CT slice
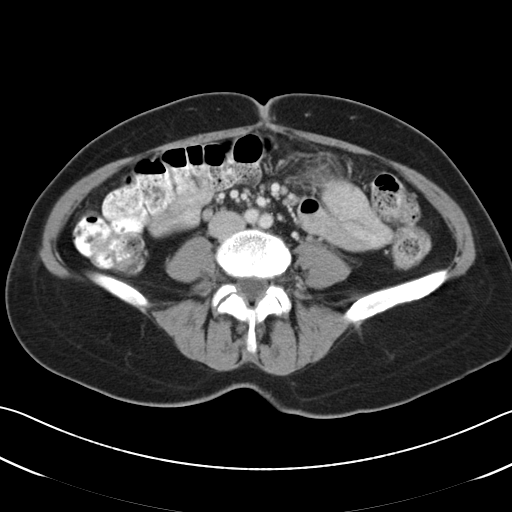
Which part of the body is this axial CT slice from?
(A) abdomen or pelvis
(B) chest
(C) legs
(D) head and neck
Answer: (A) abdomen or pelvis
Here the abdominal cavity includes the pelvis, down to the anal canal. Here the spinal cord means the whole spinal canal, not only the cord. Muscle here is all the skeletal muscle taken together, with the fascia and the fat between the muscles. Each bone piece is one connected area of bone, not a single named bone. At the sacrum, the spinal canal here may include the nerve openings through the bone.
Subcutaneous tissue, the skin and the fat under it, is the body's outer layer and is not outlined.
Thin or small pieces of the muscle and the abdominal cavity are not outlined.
The abdominal cavity is outlined by [[258,128],[390,166],[451,233],[445,267],[325,300],[318,291],[352,269],[337,251],[302,242],[291,253],[279,235],[247,227],[216,247],[206,235],[186,239],[164,269],[187,292],[153,302],[111,275],[76,271],[61,254],[57,242],[71,216],[122,167]]. The spinal cord is outlined by [[243,277],[256,277],[257,278],[263,278],[264,279],[268,280],[269,284],[267,288],[264,291],[263,294],[259,298],[256,299],[254,301],[249,301],[247,300],[243,296],[243,295],[239,291],[239,290],[236,286],[236,280],[238,278],[242,278]]. The muscle appears in 2 outlined pieces: piece 1: [[194,235],[206,236],[215,244],[214,259],[229,280],[214,291],[210,305],[218,314],[247,324],[249,353],[257,352],[256,325],[292,308],[278,278],[292,263],[292,250],[302,243],[325,245],[349,265],[343,280],[317,292],[325,301],[368,293],[341,316],[347,324],[364,321],[325,356],[295,373],[274,375],[250,363],[227,371],[197,365],[131,306],[147,307],[149,300],[180,300],[188,292],[190,285],[171,277],[165,261]]; piece 2: [[259,121],[282,124],[358,145],[416,170],[445,191],[467,218],[475,245],[475,259],[464,274],[441,289],[434,292],[449,277],[446,266],[454,255],[455,240],[440,213],[413,184],[390,165],[372,155],[290,136],[267,127],[151,152],[122,166],[94,187],[70,216],[56,246],[73,270],[89,270],[85,272],[87,278],[104,289],[71,278],[59,278],[39,258],[43,228],[52,207],[82,177],[109,162],[171,141]]. The bones appear in 3 outlined pieces: piece 1: [[247,228],[279,236],[292,257],[285,272],[277,278],[277,283],[283,287],[291,301],[291,308],[289,312],[280,315],[269,314],[255,325],[255,353],[246,348],[248,324],[230,314],[218,313],[211,305],[215,291],[230,280],[217,263],[215,250],[226,237]]; inner edge: [[243,277],[256,277],[257,278],[263,278],[264,279],[268,280],[269,284],[267,288],[264,291],[263,294],[259,298],[256,299],[254,301],[249,301],[247,300],[243,296],[243,295],[239,291],[239,290],[236,286],[236,280],[238,278],[242,278]]; piece 2: [[442,268],[447,268],[448,269],[448,277],[445,281],[432,293],[419,299],[416,299],[408,302],[399,303],[384,311],[377,313],[357,323],[347,323],[342,318],[344,312],[353,302],[360,297],[374,291],[384,289],[415,278],[418,278],[430,272]]; piece 3: [[87,271],[95,271],[96,272],[99,272],[105,275],[111,276],[125,283],[127,283],[132,288],[141,293],[142,295],[148,300],[148,305],[147,306],[139,306],[138,307],[136,307],[121,300],[116,296],[110,293],[101,286],[91,281],[86,275],[86,272]]. The torso is outlined by [[211,91],[245,93],[261,104],[289,92],[344,97],[381,109],[431,138],[477,194],[511,257],[511,352],[407,403],[336,418],[280,412],[243,387],[186,406],[140,405],[36,362],[16,339],[4,302],[7,270],[34,201],[69,159],[105,130],[153,107]].